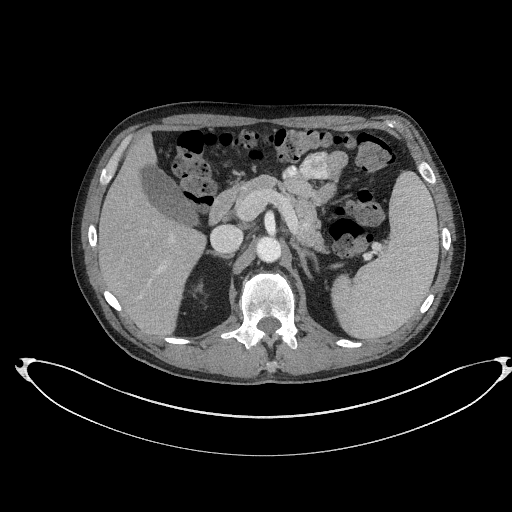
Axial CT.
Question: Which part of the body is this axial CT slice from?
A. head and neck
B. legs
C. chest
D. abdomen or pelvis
Answer: D. abdomen or pelvis
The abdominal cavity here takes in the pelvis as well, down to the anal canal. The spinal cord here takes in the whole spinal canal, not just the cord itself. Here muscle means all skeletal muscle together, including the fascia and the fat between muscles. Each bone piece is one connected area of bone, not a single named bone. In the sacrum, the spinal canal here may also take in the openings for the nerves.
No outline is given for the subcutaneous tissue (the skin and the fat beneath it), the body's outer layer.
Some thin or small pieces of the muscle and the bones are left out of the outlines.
The spinal cord is outlined by 269 333; 272 333; 280 325; 280 323; 276 319; 275 319; 274 318; 272 318; 271 317; 269 317; 268 318; 264 318; 263 319; 262 319; 258 323; 258 327; 260 329; 261 329; 262 330; 263 330; 265 332; 268 332. The abdominal cavity is outlined by 360 341; 386 337; 405 325; 429 293; 439 264; 440 230; 431 190; 395 137; 374 129; 260 123; 147 131; 133 141; 106 188; 96 227; 104 283; 138 329; 155 337; 203 332; 228 316; 244 277; 274 268; 296 294; 306 295; 318 322. The muscle is outlined by 245 379; 260 377; 270 370; 279 371; 280 373; 285 375; 303 375; 322 370; 333 370; 377 359; 395 350; 412 337; 415 336; 427 324; 434 314; 452 271; 456 238; 455 226; 453 221; 453 212; 446 187; 432 160; 424 141; 416 129; 406 119; 395 114; 384 114; 377 116; 309 115; 308 116; 290 116; 267 119; 239 115; 225 115; 212 113; 184 113; 161 117; 138 124; 134 124; 127 127; 122 130; 113 139; 101 157; 96 167; 87 193; 87 198; 85 202; 81 222; 81 242; 84 252; 84 262; 86 266; 86 272; 88 279; 96 293; 105 317; 113 328; 124 337; 166 363; 180 368; 207 373; 221 374; 233 378; 244 378; inner edges: 247 350; 277 339; 296 349; 300 293; 310 314; 343 337; 336 345; 347 348; 391 335; 418 309; 426 312; 441 248; 447 251; 451 243; 448 229; 439 229; 428 185; 436 179; 426 162; 416 164; 395 137; 374 129; 260 123; 147 131; 121 159; 132 136; 122 140; 101 170; 106 190; 98 222; 88 228; 105 300; 138 329; 174 344; 188 344; 184 335; 224 320; 237 300; 242 323; 220 336, then 392 128; 393 127; 395 127; 396 126; 399 126; 399 125; 396 122; 396 121; 395 121; 394 120; 385 120; 384 121; 384 122; 389 127; 391 127, then 268 368; 270 368; 271 367; 273 367; 274 366; 275 366; 276 365; 276 362; 275 361; 274 361; 273 360; 272 361; 270 361; 269 362; 268 362; 266 364; 266 365; 267 366; 267 367. The bones appear in 9 outlined pieces: piece 1: 247 350; 262 340; 269 345; 277 339; 292 349; 297 347; 296 335; 298 329; 294 324; 296 295; 289 280; 283 273; 277 270; 257 270; 244 278; 240 284; 238 301; 243 317; 242 323; 238 328; 223 332; 220 335; 223 339; 234 338; inner edge: 269 333; 272 333; 280 325; 280 323; 276 319; 275 319; 274 318; 272 318; 271 317; 269 317; 268 318; 264 318; 263 319; 262 319; 258 323; 258 327; 260 329; 261 329; 262 330; 263 330; 265 332; 268 332; piece 2: 103 187; 105 187; 109 183; 109 182; 113 177; 113 175; 117 167; 117 164; 120 158; 120 156; 122 152; 129 143; 132 135; 128 135; 122 140; 121 143; 114 152; 114 153; 108 161; 107 164; 101 170; 100 176; 99 177; 99 184; piece 3: 432 185; 434 185; 436 183; 436 179; 433 173; 433 171; 431 169; 429 165; 426 162; 424 161; 421 161; 419 162; 417 164; 417 169; 419 173; 425 181; 426 181; 429 184; 431 184; piece 4: 116 311; 121 311; 122 310; 122 308; 121 307; 121 306; 119 304; 119 303; 116 299; 116 298; 109 291; 108 291; 107 290; 105 290; 103 292; 103 295; 104 296; 104 298; 105 299; 105 300; 107 302; 107 303; 112 308; 113 308; piece 5: 347 348; 353 348; 354 347; 359 347; 362 345; 362 342; 360 342; 359 341; 354 341; 353 340; 350 340; 349 339; 346 339; 345 338; 342 338; 341 339; 339 339; 335 342; 336 345; 337 345; 338 346; 341 346; 342 347; 346 347; piece 6: 446 251; 447 251; 449 249; 449 248; 450 247; 450 244; 451 243; 451 239; 450 238; 450 234; 449 233; 449 231; 448 230; 448 229; 446 227; 444 227; 443 228; 442 228; 441 229; 441 243; 442 244; 442 247; piece 7: 92 248; 94 248; 96 246; 96 244; 97 243; 97 233; 96 232; 96 228; 95 227; 95 226; 93 224; 90 224; 89 225; 89 227; 88 228; 88 241; 89 242; 89 244; 90 245; 90 246; piece 8: 422 314; 423 313; 426 312; 426 311; 429 308; 429 307; 431 305; 431 304; 433 301; 433 299; 434 298; 434 295; 431 293; 430 293; 427 296; 427 297; 424 300; 424 301; 422 303; 422 304; 420 306; 420 307; 419 308; 419 312; piece 9: 174 344; 188 344; 190 342; 190 341; 188 339; 186 339; 185 338; 183 338; 182 337; 166 337; 165 338; 163 338; 163 339; 165 341; 166 341; 167 342; 168 342; 169 343; 173 343. The torso is outlined by 231 386; 269 382; 311 384; 380 369; 403 360; 424 342; 440 320; 462 274; 465 228; 457 196; 439 156; 423 129; 406 112; 376 104; 174 102; 129 115; 100 144; 79 186; 70 227; 72 268; 83 297; 106 334; 131 357; 171 376.